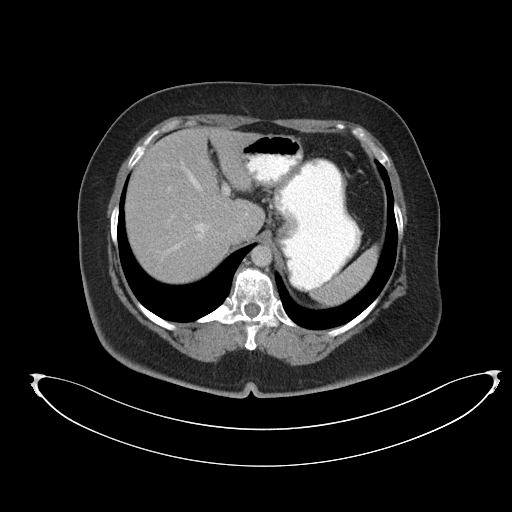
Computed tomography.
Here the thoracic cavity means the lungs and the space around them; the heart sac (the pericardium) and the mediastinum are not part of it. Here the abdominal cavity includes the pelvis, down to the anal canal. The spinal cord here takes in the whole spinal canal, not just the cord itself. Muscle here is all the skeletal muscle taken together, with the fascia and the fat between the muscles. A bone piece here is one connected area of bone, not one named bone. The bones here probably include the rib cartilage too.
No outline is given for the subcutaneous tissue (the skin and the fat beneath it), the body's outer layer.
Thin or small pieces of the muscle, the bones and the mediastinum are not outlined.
Outlines:
spinal cord: 249,303 254,303 255,304 256,304 259,307 259,311 258,312 258,313 256,315 255,315 254,316 253,316 252,317 251,317 250,316 249,316 246,313 246,312 245,311 245,306 247,304 248,304
thoracic cavity 1: 127,177 128,179 123,203 125,236 135,261 148,276 157,282 172,286 183,286 199,282 209,276 233,252 254,243 242,258 234,272 231,291 213,310 192,321 170,321 146,307 132,291 123,271 118,249 119,202
thoracic cavity 2: 376,159 387,172 393,196 392,208 397,243 392,271 378,295 350,320 341,325 325,329 303,327 296,323 286,312 276,292 275,274 279,275 287,293 296,304 316,311 345,304 367,285 378,266 388,226 388,198
muscle: 202,113 223,113 266,119 308,118 351,121 369,131 382,144 394,164 406,204 408,286 406,293 398,297 360,332 316,362 302,365 290,364 254,350 257,347 255,336 265,325 276,328 282,323 290,327 300,326 311,330 329,329 326,334 335,337 362,321 378,303 379,294 394,268 398,239 400,240 404,234 404,222 400,206 394,200 387,171 390,167 390,159 360,126 346,130 346,126 338,122 334,126 337,129 294,129 265,121 242,125 213,125 190,124 196,123 191,119 186,120 185,125 176,127 181,121 173,119 154,129 130,155 127,161 127,168 130,171 122,186 119,201 111,210 109,231 111,241 118,250 125,279 137,299 136,306 149,320 169,331 176,329 172,322 217,321 226,325 243,322 246,332 244,342 246,349 228,352 212,362 194,359 180,352 139,322 124,306 113,289 107,268 106,211 121,164 136,142 156,124 172,116
abdominal cavity: 263,122 294,130 349,131 360,138 375,157 387,198 385,240 369,281 341,305 316,310 296,303 282,281 273,255 260,241 236,249 209,275 183,285 152,278 132,253 124,222 128,175 154,137 186,125 242,126
bones 1: 247,267 258,269 269,276 285,312 298,325 290,326 282,322 276,327 263,325 254,336 256,347 253,350 248,350 245,347 247,332 243,321 230,324 217,320 207,322 195,321 213,311 224,301 232,291 235,272; inner edge: 249,303 254,303 255,304 256,304 259,307 259,311 258,312 258,313 256,315 255,315 254,316 253,316 252,317 251,317 250,316 249,316 246,313 246,312 245,311 245,306 247,304 248,304
bones 2: 173,120 178,120 180,121 180,123 172,129 168,129 161,132 159,134 155,135 150,143 147,145 143,152 136,159 131,168 130,169 128,168 128,161 136,147 141,145 143,143 144,140 154,130 159,129 166,123
bones 3: 378,296 378,301 374,306 374,307 362,320 361,320 354,326 348,329 346,331 335,336 330,336 327,334 327,332 330,329 332,328 335,328 339,326 341,326 345,324 347,322 350,321 353,318 357,316
bones 4: 356,127 360,127 363,130 365,134 381,150 382,150 387,155 389,159 389,167 387,169 386,169 386,168 381,163 379,162 379,161 376,158 376,157 374,155 368,145 355,133 350,131 352,128 355,128
bones 5: 136,300 138,300 146,308 147,308 150,311 151,311 159,317 167,321 169,321 171,322 175,326 175,329 173,330 169,330 153,322 150,319 149,319 140,310 140,309 137,306 136,304
bones 6: 118,203 119,203 119,209 118,210 118,216 117,217 117,247 116,247 114,245 112,241 112,238 111,237 111,232 110,231 110,218 111,217 111,213 112,212 112,210 113,208 115,206 115,205 116,205
bones 7: 394,201 395,201 399,206 399,208 401,211 401,215 402,216 402,221 403,222 403,234 402,235 402,237 400,239 398,238 397,225 396,224 396,220 395,219 395,214 394,213 394,209 393,208 393,204 394,203
mediastinum: 255,241 256,242 260,242 269,250 270,253 272,255 273,264 278,271 278,273 276,272 274,274 274,284 270,276 258,268 252,266 247,266 246,267 243,267 241,269 237,269 243,258 255,245 255,243 253,242
torso: 220,80 350,87 382,99 405,121 430,174 440,207 437,268 442,314 435,337 415,359 397,369 325,391 272,398 251,392 237,398 138,372 104,349 89,316 79,265 77,203 86,166 110,125 136,100 170,86